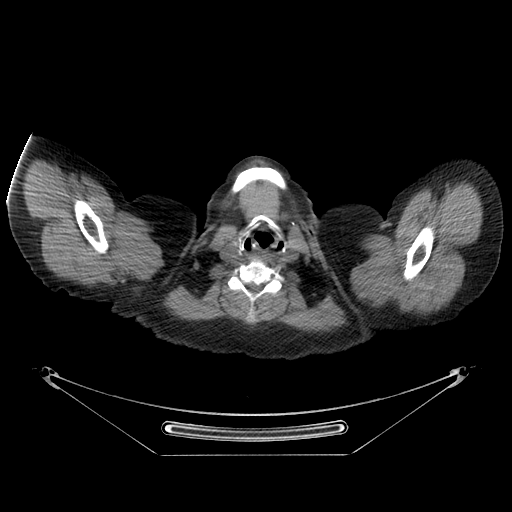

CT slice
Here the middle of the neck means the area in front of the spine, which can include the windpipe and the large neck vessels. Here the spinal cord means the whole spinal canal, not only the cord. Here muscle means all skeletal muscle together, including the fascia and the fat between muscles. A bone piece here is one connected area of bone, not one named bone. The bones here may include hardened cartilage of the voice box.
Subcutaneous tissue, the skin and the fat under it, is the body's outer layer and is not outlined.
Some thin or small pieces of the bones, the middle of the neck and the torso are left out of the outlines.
{"right_arm":[[[32,132],[67,145],[102,169],[129,201],[144,193],[159,193],[180,200],[195,211],[196,228],[193,238],[172,269],[150,286],[133,319],[111,313],[109,303],[84,301],[69,296],[63,289],[51,291],[32,273],[19,251],[9,228],[6,197],[17,162]]],"left_arm":[[[458,154],[473,156],[483,162],[493,174],[499,187],[503,204],[504,229],[496,271],[483,293],[455,319],[423,329],[377,335],[337,283],[323,258],[317,238],[318,216],[326,208],[345,201],[367,203],[375,207],[384,216],[394,196],[399,191],[437,162]]],"torso":[[[185,251],[189,280],[198,297],[225,317],[243,324],[264,325],[295,313],[311,300],[327,268],[377,336],[346,351],[331,355],[310,355],[296,360],[258,359],[241,353],[212,354],[157,339],[148,329],[140,327],[133,320],[139,313],[151,286],[173,269]]],"middle_of_the_neck":[[[261,221],[265,222],[280,239],[284,240],[282,251],[285,251],[286,245],[299,253],[298,259],[292,262],[274,257],[248,255],[232,262],[223,261],[219,256],[220,250],[225,245],[235,241],[233,244],[238,247],[238,254],[241,255],[244,249],[244,240]]],"bones":[{"outer":[[253,258],[258,258],[271,267],[275,268],[284,278],[281,282],[281,288],[278,291],[275,293],[265,292],[255,300],[254,302],[255,321],[248,322],[246,320],[250,308],[250,301],[248,297],[241,290],[230,289],[227,282],[234,268],[242,263],[247,263]],"hole":[[250,282],[253,282],[255,284],[256,284],[257,285],[259,285],[262,283],[264,283],[264,285],[263,286],[263,287],[259,291],[258,291],[257,292],[252,292],[250,290],[249,290],[247,288],[247,287],[246,286],[246,284],[247,283],[249,283]]},[[75,199],[82,199],[86,201],[101,220],[103,224],[104,233],[106,236],[106,238],[109,245],[108,249],[105,254],[100,254],[99,253],[97,253],[93,247],[88,242],[82,233],[77,223],[77,221],[75,217],[75,213],[74,212],[74,201]],[[426,225],[431,225],[433,226],[434,228],[433,229],[433,231],[434,232],[434,240],[433,241],[430,255],[427,261],[417,275],[411,280],[407,281],[405,280],[403,277],[403,271],[404,270],[404,266],[406,261],[406,252],[417,236],[418,233],[421,229]],[[253,166],[271,167],[272,168],[276,169],[284,178],[287,184],[287,187],[286,189],[282,189],[270,181],[268,181],[267,180],[263,180],[262,179],[258,179],[257,180],[255,180],[248,183],[240,190],[235,193],[233,193],[230,189],[237,175],[241,171]],[[257,215],[265,215],[271,219],[279,227],[283,238],[282,239],[280,238],[269,227],[268,224],[265,221],[261,220],[259,222],[259,224],[252,229],[243,240],[243,249],[241,254],[239,254],[239,247],[234,244],[234,243],[246,229],[246,227],[250,221]]],"muscle":[{"outer":[[255,159],[269,162],[285,174],[287,181],[295,192],[303,210],[303,233],[315,259],[313,285],[318,292],[329,290],[336,294],[348,312],[350,321],[348,325],[332,332],[310,333],[298,330],[281,322],[264,321],[251,326],[239,320],[226,317],[198,321],[180,320],[174,318],[163,309],[160,299],[165,290],[181,282],[198,284],[202,281],[210,264],[205,251],[206,245],[208,237],[221,216],[221,199],[236,170],[245,163]],"holes":[[[257,215],[265,215],[267,216],[279,227],[285,244],[299,253],[298,259],[292,262],[278,259],[274,257],[250,256],[248,255],[232,262],[223,261],[219,256],[220,250],[225,245],[227,245],[231,242],[237,240],[239,236],[246,229],[246,227],[250,221]],[[253,258],[258,258],[271,267],[275,268],[284,278],[281,282],[281,288],[278,291],[275,293],[265,292],[255,300],[254,302],[255,321],[248,322],[246,320],[250,308],[250,301],[248,297],[241,290],[230,289],[227,282],[234,268],[242,263],[247,263]],[[253,166],[271,167],[272,168],[276,169],[284,178],[287,184],[287,187],[286,189],[282,189],[270,181],[268,181],[267,180],[263,180],[262,179],[258,179],[257,180],[255,180],[248,183],[240,190],[235,193],[233,193],[230,189],[237,175],[241,171]]]},{"outer":[[462,175],[479,185],[479,189],[484,194],[485,213],[481,232],[472,251],[461,287],[449,304],[429,315],[411,317],[384,312],[359,302],[355,296],[350,268],[360,256],[361,251],[358,246],[360,238],[367,233],[385,233],[392,228],[406,201],[423,186]],"hole":[[426,225],[431,225],[433,226],[434,228],[433,229],[433,231],[434,232],[434,240],[433,241],[430,255],[427,261],[417,275],[411,280],[407,281],[405,280],[403,277],[403,271],[404,270],[404,266],[406,261],[406,252],[417,236],[418,233],[421,229]]},{"outer":[[38,157],[54,160],[57,163],[89,174],[104,186],[116,204],[126,211],[149,221],[155,230],[165,259],[163,267],[151,281],[144,285],[124,290],[92,290],[72,285],[59,279],[47,269],[41,254],[38,237],[20,192],[20,184],[27,167]],"hole":[[75,199],[82,199],[86,201],[101,220],[103,224],[104,233],[106,236],[106,238],[109,245],[108,249],[105,254],[100,254],[99,253],[97,253],[93,247],[88,242],[82,233],[77,223],[77,221],[75,217],[75,213],[74,212],[74,201]]}],"spinal_cord":[[[250,282],[253,282],[255,284],[256,284],[257,285],[259,285],[262,283],[264,283],[264,285],[263,286],[263,287],[259,291],[258,291],[257,292],[252,292],[250,290],[249,290],[247,288],[247,287],[246,286],[246,284],[247,283],[249,283]]],"head_and_neck":[[[251,155],[263,155],[278,161],[308,191],[313,209],[318,215],[316,238],[327,267],[306,304],[295,312],[264,324],[243,323],[207,305],[199,297],[190,280],[186,262],[186,250],[196,233],[197,218],[198,227],[202,226],[211,193],[223,181],[234,164]]]}